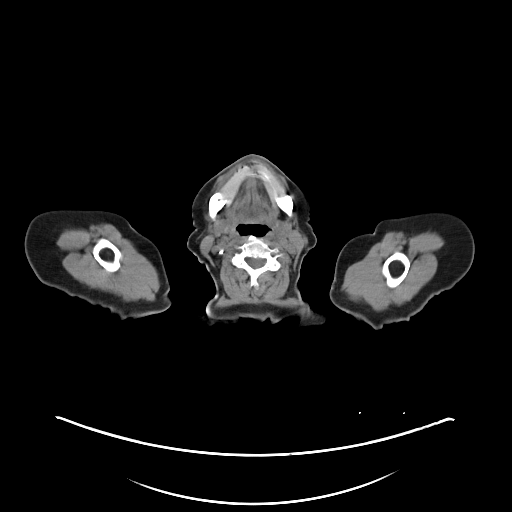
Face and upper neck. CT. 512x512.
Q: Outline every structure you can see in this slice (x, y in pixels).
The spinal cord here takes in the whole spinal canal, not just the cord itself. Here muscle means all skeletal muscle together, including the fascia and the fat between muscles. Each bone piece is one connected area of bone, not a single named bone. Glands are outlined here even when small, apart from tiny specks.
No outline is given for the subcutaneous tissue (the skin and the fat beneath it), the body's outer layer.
A: The submandibular glands appear in 2 outlined pieces: piece 1: 219,219 226,219 226,222 227,223 227,224 225,226 225,227 224,228 224,229 223,230 223,232 222,232 217,237 215,235 215,234 214,233 214,232 213,231 214,230 214,224 216,222 216,221 217,220 218,220; piece 2: 281,221 284,221 285,222 287,222 290,224 290,225 291,226 291,229 290,230 289,233 288,233 287,234 285,234 284,235 281,235 278,233 278,232 277,231 277,227 278,226 278,224 279,223 279,222 280,222. The left arm is outlined by 433,211 447,212 458,216 467,224 474,238 475,251 472,264 467,273 451,289 434,296 423,309 409,320 386,324 377,330 356,320 332,303 329,298 329,289 334,275 336,258 348,240 357,235 372,232 381,220. The muscle appears in 3 outlined pieces: piece 1: 248,159 257,159 269,165 285,179 290,189 296,196 299,223 301,228 307,236 308,241 297,259 294,270 290,274 288,293 301,303 301,305 295,308 285,308 270,304 262,305 240,304 226,308 215,308 214,307 214,304 222,290 222,287 218,272 201,253 199,249 199,244 197,238 203,228 203,219 202,218 203,204 207,194 210,191 218,177 238,163, around holes outlined by 240,225 266,226 267,231 260,236 270,248 277,248 281,253 277,258 280,267 275,271 267,270 257,278 258,289 248,286 248,273 243,268 233,265 230,260 238,250 237,247 248,238 246,234 238,231 237,227 and by 245,165 260,166 273,174 292,198 293,209 291,216 285,213 272,200 271,194 265,182 261,178 258,176 248,175 238,185 230,203 225,204 216,213 214,220 211,219 208,213 210,197 215,192 220,191 233,175 and by 219,219 226,219 226,222 227,223 227,224 225,226 225,227 224,228 224,229 223,230 223,232 222,232 217,237 215,235 215,234 214,233 214,232 213,231 214,230 214,224 216,222 216,221 217,220 218,220 and by 281,221 284,221 285,222 287,222 290,224 290,225 291,226 291,229 290,230 289,233 288,233 287,234 285,234 284,235 281,235 278,233 278,232 277,231 277,227 278,226 278,224 279,223 279,222 280,222; piece 2: 428,230 438,232 444,238 445,244 437,254 438,266 433,278 410,301 400,306 391,305 383,311 376,311 367,304 358,303 350,300 341,290 341,285 347,267 361,259 374,243 381,240 386,232 403,231 410,236; inner edge: 395,251 401,251 405,253 405,254 409,259 410,263 409,264 409,268 408,269 408,271 405,277 403,279 403,280 396,287 394,288 390,288 387,286 386,284 386,279 382,274 382,267 383,266 383,264 385,260; piece 3: 98,223 110,223 114,225 121,234 130,240 138,251 144,255 156,268 160,280 160,288 153,301 138,300 127,302 114,294 90,288 74,279 62,266 62,253 55,243 55,239 58,234 64,228 87,228 90,224; inner edge: 99,238 105,238 107,239 109,241 110,241 115,246 116,246 120,251 122,256 120,259 120,266 116,271 114,271 113,272 108,272 96,260 96,259 94,257 93,255 93,253 92,252 92,250 93,249 93,246. The spinal cord is outlined by 247,258 260,258 261,259 264,259 265,260 265,261 264,262 264,263 263,264 263,265 262,265 260,267 257,267 256,268 254,268 248,264 248,263 246,260 246,259. The right arm is outlined by 61,208 101,209 118,213 125,217 137,231 151,239 159,249 163,260 170,285 168,294 171,305 158,313 137,318 120,319 110,314 107,308 92,305 43,284 35,275 26,258 24,236 28,224 34,216 46,210. The bones appear in 4 outlined pieces: piece 1: 245,165 260,166 273,174 292,198 293,209 291,216 285,213 272,200 271,194 265,182 261,178 258,176 248,175 238,185 230,203 225,204 216,213 214,220 211,219 208,213 210,197 215,192 220,191 233,175; piece 2: 249,235 261,237 270,248 277,248 281,253 281,255 277,258 280,263 280,267 275,271 267,270 257,278 259,284 258,289 248,286 250,278 248,273 243,268 233,265 230,260 234,253 238,250 237,247 246,242; inner edge: 247,258 260,258 261,259 264,259 265,260 265,261 264,262 264,263 263,264 263,265 262,265 260,267 257,267 256,268 254,268 248,264 248,263 246,260 246,259; piece 3: 395,251 401,251 405,253 405,254 409,259 410,263 409,264 409,268 408,269 408,271 405,277 403,279 403,280 396,287 394,288 390,288 387,286 386,284 386,279 382,274 382,267 383,266 383,264 385,260; piece 4: 99,238 105,238 107,239 109,241 110,241 115,246 116,246 120,251 122,256 120,259 120,266 116,271 114,271 113,272 108,272 96,260 96,259 94,257 93,255 93,253 92,252 92,250 93,249 93,246. The head and neck is outlined by 246,154 270,160 307,197 316,244 303,258 298,287 301,297 313,308 329,313 321,325 298,327 295,321 288,323 284,319 272,324 266,319 202,326 196,319 216,290 206,267 186,246 193,230 192,201 206,181; inner edge: 240,225 263,225 267,227 267,231 266,231 263,235 261,235 260,236 258,236 257,235 254,235 253,234 249,234 248,235 246,234 242,234 240,233 240,232 238,231 237,229 237,227.